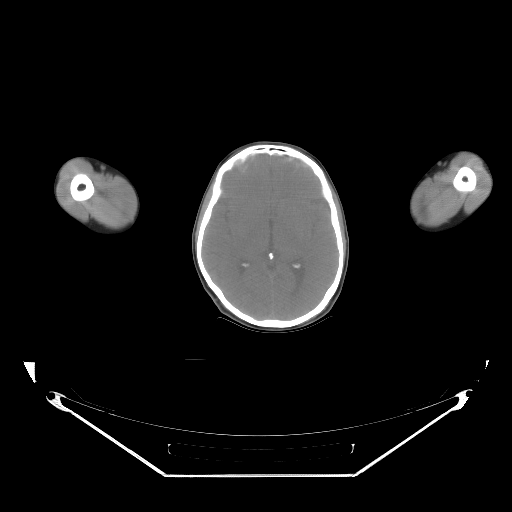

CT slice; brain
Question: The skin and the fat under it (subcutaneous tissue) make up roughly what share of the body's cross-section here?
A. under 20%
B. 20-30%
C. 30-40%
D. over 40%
Answer: A. under 20%
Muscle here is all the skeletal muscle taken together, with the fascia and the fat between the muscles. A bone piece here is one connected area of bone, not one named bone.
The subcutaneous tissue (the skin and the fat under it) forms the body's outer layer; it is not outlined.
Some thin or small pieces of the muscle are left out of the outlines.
{"left_arm":[[[456,149],[469,149],[470,150],[473,150],[480,154],[484,158],[490,168],[493,178],[492,191],[487,200],[469,218],[458,226],[452,229],[438,233],[429,233],[422,231],[414,225],[409,215],[408,202],[409,201],[410,194],[418,180],[438,159],[446,153]]],"brain":[[[262,154],[284,156],[290,162],[301,163],[311,170],[318,180],[320,194],[328,206],[329,221],[335,238],[337,265],[330,283],[313,307],[291,318],[257,318],[237,307],[214,281],[203,259],[205,230],[214,206],[223,193],[224,175],[237,164],[249,163]]],"bones":[{"outer":[[256,144],[289,146],[305,154],[318,164],[323,170],[330,186],[344,242],[344,260],[341,277],[327,305],[315,316],[289,327],[279,328],[255,325],[229,311],[206,283],[196,257],[198,226],[211,197],[212,184],[217,170],[232,155],[248,146]],"hole":[[262,154],[284,156],[290,162],[301,163],[311,170],[318,180],[320,194],[328,206],[329,221],[335,238],[337,265],[330,283],[313,307],[291,318],[257,318],[237,307],[214,281],[203,259],[205,230],[214,206],[223,193],[224,175],[237,164],[249,163]]},[[78,173],[85,173],[90,178],[90,179],[93,184],[93,186],[94,187],[94,193],[93,194],[93,195],[90,198],[89,198],[84,201],[77,201],[76,200],[73,199],[73,198],[70,193],[70,182],[71,181],[71,180],[72,179],[73,176]],[[465,165],[468,166],[474,171],[476,175],[476,184],[475,185],[475,188],[473,190],[469,192],[460,192],[456,190],[454,188],[453,186],[453,184],[452,183],[452,180],[454,176],[456,174],[458,169],[460,167],[462,166],[464,166]]],"muscle":[{"outer":[[77,158],[83,158],[92,164],[98,164],[111,168],[113,169],[114,174],[121,176],[127,181],[132,188],[137,201],[136,213],[133,220],[130,223],[119,229],[111,229],[99,224],[82,222],[70,214],[60,204],[56,195],[56,186],[60,172],[68,162]],"hole":[[78,173],[85,173],[90,178],[90,179],[93,184],[93,186],[94,187],[94,193],[93,194],[93,195],[90,198],[89,198],[84,201],[77,201],[76,200],[73,199],[73,198],[70,193],[70,182],[71,181],[71,180],[72,179],[73,176]]},{"outer":[[462,152],[473,154],[481,160],[485,169],[488,173],[490,179],[490,188],[487,195],[470,213],[455,216],[448,222],[446,222],[439,226],[428,227],[418,223],[413,216],[411,210],[412,198],[416,189],[421,182],[439,165],[450,159],[458,153],[461,153]],"hole":[[465,165],[468,166],[474,171],[476,175],[476,184],[475,185],[475,188],[473,190],[469,192],[460,192],[456,190],[454,188],[453,186],[453,184],[452,183],[452,180],[454,176],[456,174],[458,169],[460,167],[462,166],[464,166]]},[[331,186],[336,195],[340,207],[341,215],[342,216],[342,221],[344,227],[344,235],[345,236],[345,251],[345,242],[343,240],[343,233],[341,229],[341,225],[338,216],[338,209],[333,197],[333,192]],[[211,184],[211,194],[207,202],[207,204],[203,211],[203,213],[199,221],[199,223],[197,226],[197,233],[195,236],[195,231],[197,227],[197,222],[198,221],[199,214],[201,210],[201,207],[204,201],[204,199],[207,193],[207,191],[209,187],[211,185]]],"right_arm":[[[83,154],[97,157],[115,166],[121,170],[129,178],[135,187],[139,197],[140,211],[137,220],[134,225],[128,231],[117,235],[101,235],[94,233],[70,217],[56,203],[53,194],[53,183],[55,175],[59,167],[67,159],[76,155],[82,155]]],"head":[[[254,140],[291,142],[315,155],[331,177],[339,194],[345,214],[349,235],[349,261],[341,293],[329,312],[333,317],[297,331],[262,333],[246,329],[223,318],[217,319],[221,313],[204,291],[192,261],[191,233],[194,219],[203,192],[218,162],[232,149]]]}